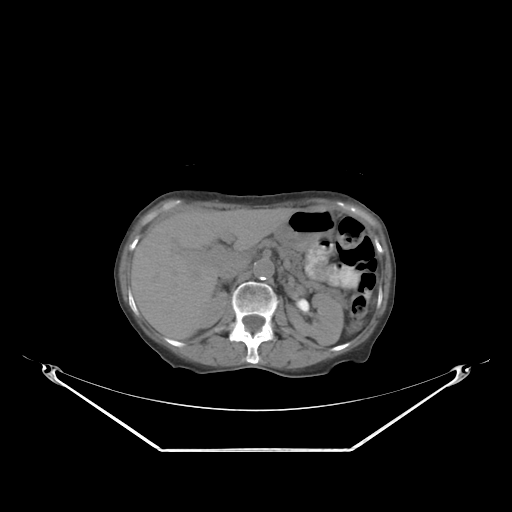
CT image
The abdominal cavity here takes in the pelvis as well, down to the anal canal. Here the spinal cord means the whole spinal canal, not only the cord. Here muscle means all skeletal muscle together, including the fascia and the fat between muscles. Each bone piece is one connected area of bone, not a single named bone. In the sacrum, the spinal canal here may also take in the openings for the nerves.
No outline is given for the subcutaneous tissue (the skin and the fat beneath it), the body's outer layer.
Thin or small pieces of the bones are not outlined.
{"abdominal_cavity":[[[310,202],[342,209],[363,222],[374,237],[380,269],[375,307],[348,341],[326,346],[299,335],[288,323],[283,299],[266,282],[252,279],[231,292],[213,327],[184,342],[159,334],[140,313],[130,285],[130,260],[140,237],[155,223],[200,206],[248,209]]],"torso":[[[177,189],[237,195],[336,190],[357,198],[376,212],[387,227],[397,274],[392,311],[368,359],[363,363],[341,363],[326,375],[304,378],[285,377],[257,368],[201,374],[174,368],[162,360],[141,339],[121,310],[113,267],[118,247],[133,217],[160,194]]],"bones":[{"outer":[[249,280],[266,283],[272,288],[278,299],[277,307],[271,318],[274,340],[263,341],[259,344],[257,347],[259,357],[257,363],[246,361],[247,346],[244,342],[231,341],[228,336],[230,331],[229,326],[235,320],[235,313],[231,304],[232,292],[239,284]],"hole":[[249,315],[257,315],[258,316],[261,316],[264,319],[264,322],[263,323],[263,324],[261,326],[261,327],[260,328],[260,329],[258,331],[256,331],[253,333],[252,333],[250,331],[248,331],[245,328],[245,325],[243,322],[243,318],[245,316],[248,316]]},[[175,199],[181,199],[182,200],[182,202],[181,203],[161,211],[155,217],[150,220],[146,224],[144,225],[142,225],[141,224],[141,220],[145,215],[152,211],[154,211],[160,208],[165,202],[170,200],[174,200]],[[336,201],[342,201],[345,203],[348,203],[349,204],[356,207],[361,211],[368,214],[372,218],[373,218],[375,220],[376,223],[375,224],[371,224],[370,223],[365,221],[362,218],[361,218],[356,213],[355,213],[344,207],[339,206],[336,203]],[[129,289],[131,289],[131,291],[132,292],[132,294],[133,295],[133,298],[134,299],[134,301],[135,302],[135,303],[136,304],[136,306],[139,311],[139,315],[136,315],[133,312],[133,311],[131,309],[131,308],[129,305],[129,299],[128,298],[128,290]],[[164,337],[167,337],[168,338],[170,338],[171,339],[173,339],[174,340],[177,340],[178,341],[180,341],[181,342],[183,342],[185,344],[183,346],[175,346],[174,345],[173,345],[172,344],[171,344],[170,343],[169,343],[168,342],[167,342],[164,339]],[[380,285],[381,286],[381,288],[382,289],[382,299],[381,300],[381,304],[380,305],[380,306],[378,308],[377,308],[376,307],[376,302],[377,301],[377,296],[378,295],[378,288],[379,287],[379,286]],[[346,342],[349,342],[350,343],[349,345],[348,345],[346,347],[340,350],[336,350],[335,351],[332,351],[330,350],[330,348],[331,347],[333,346],[335,346],[336,345],[339,345],[340,344],[342,344]],[[137,235],[138,235],[139,236],[139,239],[138,240],[138,241],[137,242],[137,243],[136,244],[136,245],[135,246],[135,247],[133,249],[133,250],[130,250],[129,249],[129,246],[130,245],[130,244],[133,241],[133,240],[135,238],[135,237]]],"muscle":[{"outer":[[171,197],[186,197],[206,201],[218,200],[224,203],[252,206],[322,197],[349,200],[360,205],[381,225],[391,263],[391,279],[386,308],[370,336],[364,342],[345,353],[302,368],[281,369],[258,363],[260,360],[258,353],[260,344],[275,340],[272,318],[278,307],[279,297],[283,302],[288,325],[299,336],[319,346],[330,347],[329,350],[332,352],[340,351],[349,346],[351,343],[349,341],[362,331],[372,317],[375,308],[378,309],[382,304],[383,289],[380,284],[379,254],[382,254],[384,250],[379,239],[374,236],[363,221],[342,208],[318,201],[310,201],[292,206],[239,208],[200,205],[184,208],[155,222],[141,236],[137,234],[128,246],[128,249],[133,251],[129,260],[130,288],[127,290],[128,305],[132,312],[136,316],[140,314],[167,343],[175,347],[183,347],[186,344],[185,342],[198,337],[220,321],[226,301],[229,298],[234,320],[228,326],[228,339],[231,342],[242,342],[246,346],[245,363],[232,366],[210,366],[187,361],[154,341],[144,332],[125,303],[118,272],[124,246],[135,224],[152,207]],"holes":[[[175,199],[181,199],[182,200],[182,202],[181,203],[161,211],[155,217],[150,220],[146,224],[144,225],[142,225],[141,224],[141,220],[145,215],[152,211],[154,211],[160,208],[165,202],[170,200],[174,200]],[[336,201],[342,201],[345,203],[348,203],[349,204],[356,207],[361,211],[368,214],[372,218],[373,218],[375,220],[376,223],[375,224],[371,224],[370,223],[365,221],[362,218],[361,218],[356,213],[355,213],[344,207],[339,206],[336,203]]]}],"spinal_cord":[[[249,315],[257,315],[258,316],[261,316],[264,319],[264,322],[263,323],[263,324],[261,326],[261,327],[260,328],[260,329],[258,331],[256,331],[253,333],[252,333],[250,331],[248,331],[245,328],[245,325],[243,322],[243,318],[245,316],[248,316]]]}